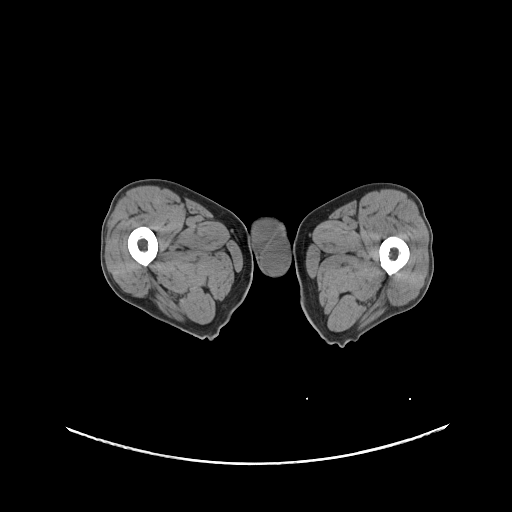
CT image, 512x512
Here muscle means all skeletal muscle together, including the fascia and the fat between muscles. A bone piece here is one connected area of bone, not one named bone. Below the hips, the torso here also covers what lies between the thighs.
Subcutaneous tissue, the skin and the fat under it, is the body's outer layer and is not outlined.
The bones appear in 2 outlined pieces: piece 1: [[139,226],[147,226],[149,227],[155,234],[157,241],[158,242],[158,251],[156,254],[156,256],[155,258],[152,261],[151,261],[148,264],[148,265],[146,266],[144,266],[140,264],[131,256],[127,246],[127,240],[128,239],[128,236],[129,234],[135,228]]; piece 2: [[392,235],[399,235],[401,236],[403,240],[407,244],[409,248],[409,258],[405,265],[403,266],[396,273],[394,273],[391,275],[388,275],[380,265],[380,261],[379,260],[378,250],[379,249],[379,246],[382,242],[382,241],[387,237],[391,236]]. The left leg is outlined by [[371,182],[392,182],[400,184],[409,188],[418,196],[433,233],[433,275],[425,295],[414,307],[390,317],[364,333],[357,341],[351,341],[341,347],[336,344],[328,344],[319,336],[307,319],[300,305],[293,241],[301,220],[311,210],[346,191]]. The muscle appears in 2 outlined pieces: piece 1: [[142,185],[156,185],[168,188],[183,198],[186,197],[198,202],[225,225],[232,233],[241,250],[243,265],[238,279],[229,292],[219,313],[208,324],[185,324],[168,317],[150,302],[130,296],[120,290],[110,278],[104,255],[108,221],[118,200],[129,189]] with a hole at [[139,226],[147,226],[149,227],[155,234],[157,241],[158,242],[158,251],[156,254],[156,256],[155,258],[152,261],[151,261],[148,264],[148,265],[146,266],[144,266],[140,264],[131,256],[127,246],[127,240],[128,239],[128,236],[129,234],[135,228]]; piece 2: [[383,188],[399,190],[405,193],[416,204],[429,238],[427,246],[429,258],[427,276],[417,296],[408,303],[385,311],[356,332],[332,335],[326,326],[326,320],[319,305],[313,281],[306,271],[304,257],[305,236],[320,218],[352,200],[358,200],[367,192]], around a hole outlined by [[392,235],[399,235],[401,236],[403,240],[407,244],[409,248],[409,258],[405,265],[403,266],[396,273],[394,273],[391,275],[388,275],[380,265],[380,261],[379,260],[378,250],[379,249],[379,246],[382,242],[382,241],[387,237],[391,236]]. The right leg is outlined by [[146,178],[166,179],[184,185],[232,211],[248,229],[253,256],[251,285],[243,302],[235,310],[229,321],[220,329],[218,335],[212,340],[206,338],[201,339],[186,333],[124,301],[116,295],[104,277],[100,263],[101,226],[111,200],[115,193],[124,185]]. The torso is outlined by [[262,215],[271,215],[283,221],[287,230],[288,239],[292,243],[293,261],[291,262],[290,266],[286,273],[279,277],[271,277],[265,275],[258,267],[256,261],[255,260],[254,261],[253,250],[252,249],[250,234],[248,228],[250,226],[250,224],[253,219]].